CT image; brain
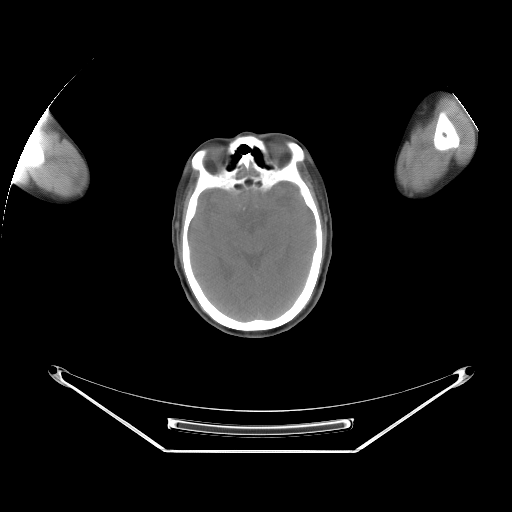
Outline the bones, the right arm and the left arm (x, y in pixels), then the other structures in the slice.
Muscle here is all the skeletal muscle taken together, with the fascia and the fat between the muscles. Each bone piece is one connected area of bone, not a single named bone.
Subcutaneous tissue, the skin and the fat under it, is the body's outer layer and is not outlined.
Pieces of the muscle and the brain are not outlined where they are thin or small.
{"bones":[{"outer":[[244,135],[261,139],[279,168],[290,158],[288,141],[301,147],[304,159],[297,168],[322,233],[319,273],[305,306],[282,325],[253,331],[224,326],[202,309],[182,257],[185,214],[199,174],[192,157],[206,149],[204,165],[216,173],[227,163],[228,144]],"holes":[[[279,182],[294,184],[312,214],[315,243],[309,268],[301,290],[284,311],[272,318],[240,320],[220,310],[208,298],[196,278],[191,262],[189,227],[196,214],[199,197],[205,190],[217,188],[237,193],[240,189],[236,186],[245,188],[248,186],[266,192]],[[241,146],[247,146],[248,147],[249,150],[246,152],[244,152],[243,153],[241,153],[240,154],[240,155],[239,156],[238,159],[234,163],[234,164],[232,166],[232,156],[233,156],[235,154],[236,154],[237,153],[237,152],[238,151],[239,148]],[[255,149],[257,149],[258,150],[259,150],[259,151],[260,152],[260,153],[261,154],[261,156],[262,157],[262,161],[263,162],[263,165],[260,165],[256,161],[256,158],[255,157],[255,156],[252,153],[252,151],[253,150],[254,150]],[[242,168],[244,168],[244,169],[245,170],[246,170],[247,171],[249,171],[251,169],[254,172],[255,172],[255,173],[246,173],[245,174],[244,174],[243,175],[242,175],[241,176],[239,176],[238,177],[238,174],[239,174],[240,173],[240,172],[242,170]]]},[[441,111],[443,111],[446,113],[448,118],[453,124],[459,136],[459,145],[457,147],[455,148],[449,148],[446,150],[443,150],[442,151],[437,150],[435,148],[433,143],[433,138],[434,137],[435,128],[436,127],[436,124],[437,123],[439,113]],[[37,123],[38,125],[38,127],[40,129],[40,141],[41,142],[41,144],[43,148],[43,151],[44,152],[44,162],[43,164],[42,164],[39,167],[27,167],[23,165],[18,160],[20,157],[20,155],[23,150],[23,148],[30,134],[32,132],[34,127]]],"right_arm":[[[45,112],[49,113],[51,112],[56,117],[64,129],[84,153],[90,169],[91,184],[89,188],[89,191],[83,199],[77,203],[71,205],[56,205],[40,201],[21,190],[16,185],[16,183],[14,182],[13,177],[14,172],[23,148],[37,122]]],"left_arm":[[[438,88],[449,90],[458,98],[464,106],[473,120],[479,133],[478,148],[475,157],[469,167],[447,188],[435,197],[429,200],[422,202],[415,202],[406,199],[400,195],[397,192],[394,186],[393,181],[394,157],[403,130],[414,107],[425,94],[431,90]]],"brain":[[[279,182],[294,184],[312,214],[315,243],[309,268],[301,290],[284,311],[272,318],[240,320],[220,310],[208,298],[196,278],[191,262],[189,227],[196,214],[199,197],[205,190],[217,188],[237,193],[240,189],[236,186],[245,188],[248,186],[266,192]]],"muscle":[{"outer":[[445,93],[452,93],[458,98],[470,115],[477,128],[473,152],[469,160],[464,165],[461,166],[458,165],[449,170],[428,190],[417,194],[411,193],[409,191],[406,191],[399,184],[397,180],[396,170],[400,152],[417,117],[424,108],[424,106],[438,95]],"hole":[[441,111],[443,111],[446,113],[448,118],[453,124],[459,136],[459,145],[457,147],[455,148],[449,148],[446,150],[443,150],[442,151],[437,150],[435,148],[433,143],[433,138],[434,137],[435,128],[436,127],[436,124],[437,123],[439,113]]},[[45,112],[49,113],[49,116],[53,120],[59,132],[73,145],[85,164],[87,183],[83,191],[77,196],[63,199],[44,193],[38,188],[28,188],[14,182],[13,177],[18,161],[27,168],[39,168],[45,162],[45,152],[41,141],[41,129],[37,122]],[[305,153],[308,170],[312,177],[317,182],[323,200],[324,211],[327,218],[326,251],[321,273],[317,282],[315,292],[306,306],[313,293],[320,273],[322,261],[323,233],[321,219],[317,205],[309,187],[303,179],[298,168],[298,163],[303,162],[305,159]],[[190,163],[191,168],[197,171],[198,174],[193,190],[187,202],[186,210],[184,214],[184,220],[181,230],[181,257],[182,258],[182,267],[184,275],[180,265],[177,250],[176,222],[178,217],[178,207],[182,198],[182,193],[187,184],[190,173],[189,172]]],"head":[{"outer":[[244,130],[286,133],[297,138],[305,145],[323,177],[332,219],[331,259],[325,288],[317,305],[305,319],[288,331],[262,338],[238,337],[224,333],[208,324],[196,313],[188,302],[176,274],[171,241],[174,193],[187,158],[200,143],[207,139],[231,136]],"holes":[[[241,146],[247,146],[248,147],[249,150],[246,152],[244,152],[243,153],[241,153],[240,154],[240,155],[239,156],[238,159],[234,163],[234,164],[232,166],[232,156],[233,156],[235,154],[236,154],[237,153],[237,152],[238,151],[239,148]],[[255,149],[257,149],[258,150],[259,150],[259,151],[260,152],[260,153],[261,154],[261,156],[262,157],[262,161],[263,162],[263,165],[260,165],[256,161],[256,158],[255,157],[255,156],[252,153],[252,151],[253,150],[254,150]]]}]}